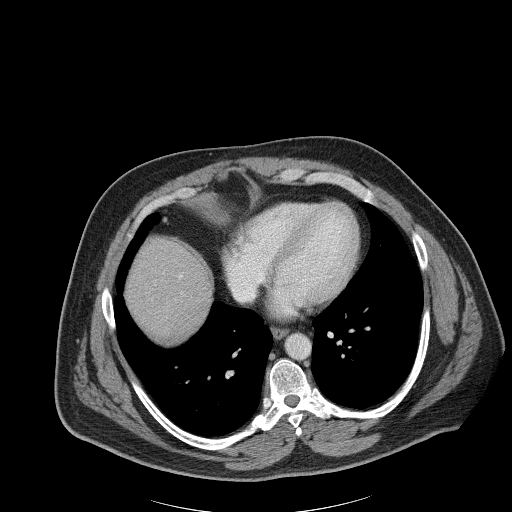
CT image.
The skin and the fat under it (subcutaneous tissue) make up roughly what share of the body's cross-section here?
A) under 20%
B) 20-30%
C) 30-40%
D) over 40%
B) 20-30%
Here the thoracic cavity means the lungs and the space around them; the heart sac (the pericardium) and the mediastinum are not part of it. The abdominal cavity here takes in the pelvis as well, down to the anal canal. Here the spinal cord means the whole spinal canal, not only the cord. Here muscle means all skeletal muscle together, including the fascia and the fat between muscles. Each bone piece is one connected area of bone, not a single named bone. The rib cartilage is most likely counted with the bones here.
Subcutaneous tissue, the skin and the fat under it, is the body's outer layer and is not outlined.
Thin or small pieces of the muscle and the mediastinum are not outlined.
Outlines (x, y in pixels):
spinal cord: [[289,395],[295,395],[296,396],[297,396],[299,398],[299,400],[298,401],[298,402],[294,406],[289,406],[287,404],[286,404],[284,402],[284,399],[285,398],[285,397],[286,397],[287,396],[288,396]]
pericardium: [[274,194],[329,194],[339,196],[347,200],[357,210],[365,225],[365,231],[367,234],[365,255],[359,268],[341,293],[323,311],[303,322],[283,323],[268,319],[257,310],[238,303],[233,298],[222,279],[219,242],[224,230],[233,231],[262,201],[264,196]]
muscle: [[245,156],[274,156],[280,158],[297,157],[317,159],[339,164],[354,171],[380,186],[398,199],[411,213],[414,219],[434,236],[445,252],[449,256],[451,256],[460,266],[471,286],[475,302],[482,320],[482,336],[477,352],[464,376],[459,383],[443,397],[410,418],[394,423],[381,434],[381,437],[376,442],[361,451],[342,456],[329,456],[314,452],[305,444],[297,443],[288,455],[271,465],[257,469],[235,470],[226,467],[222,461],[200,459],[170,451],[153,444],[124,428],[105,415],[84,405],[76,395],[73,385],[74,374],[76,372],[74,366],[77,361],[83,333],[90,327],[91,314],[96,295],[96,280],[103,264],[109,244],[123,220],[142,196],[166,181],[219,160]], around a hole outlined by [[293,167],[354,178],[374,193],[379,209],[410,242],[412,231],[423,240],[427,268],[420,274],[430,329],[422,367],[407,394],[382,417],[332,415],[323,419],[304,410],[299,436],[284,414],[270,429],[258,428],[224,448],[192,446],[167,431],[134,391],[130,378],[142,384],[103,315],[103,288],[107,286],[114,293],[127,233],[150,201],[181,187],[203,190],[216,176],[233,169],[249,170],[263,182],[277,184],[277,175]]
abdominal cavity 1: [[149,232],[173,235],[183,242],[188,243],[200,252],[209,264],[211,271],[213,272],[213,293],[215,296],[215,300],[211,304],[205,321],[201,327],[187,341],[173,348],[161,347],[148,339],[132,319],[126,307],[123,297],[124,284],[128,270],[136,252]]
abdominal cavity 2: [[233,169],[241,169],[245,171],[248,177],[256,182],[263,193],[263,198],[261,201],[233,230],[204,227],[201,223],[198,223],[195,219],[192,219],[186,215],[176,205],[170,204],[177,202],[180,199],[194,196],[201,190],[205,189],[216,176]]
torso: [[306,135],[348,137],[379,150],[433,200],[468,243],[499,318],[505,346],[485,389],[459,427],[353,467],[261,481],[207,479],[164,471],[124,458],[73,435],[63,425],[54,398],[57,335],[80,238],[101,194],[127,170],[162,155],[195,148],[246,145]]
mediastinum 1: [[168,205],[176,206],[186,216],[192,220],[195,220],[204,228],[223,230],[218,242],[221,279],[232,298],[238,304],[249,308],[232,306],[216,299],[214,293],[214,272],[212,271],[210,264],[199,250],[173,234],[150,231],[160,220],[160,215],[155,211]]
mediastinum 2: [[253,310],[257,311],[270,321],[283,324],[303,323],[316,316],[312,321],[312,326],[314,330],[310,362],[310,372],[314,384],[310,382],[303,368],[287,357],[280,357],[277,359],[266,373],[267,360],[273,345],[273,337],[268,326],[264,323],[262,317]]
mediastinum 3: [[247,170],[252,172],[263,182],[270,184],[291,184],[301,182],[309,186],[325,183],[336,185],[347,190],[363,202],[361,205],[369,222],[370,241],[366,255],[368,239],[366,225],[358,210],[347,199],[329,193],[274,193],[264,195],[257,182],[249,177]]
thoracic cavity 1: [[364,202],[378,208],[386,214],[411,243],[422,280],[423,307],[420,318],[416,353],[411,368],[402,384],[381,404],[368,409],[352,409],[341,406],[328,399],[314,382],[311,372],[315,330],[313,321],[342,293],[366,258],[371,241],[371,226],[362,205]]
thoracic cavity 2: [[154,212],[159,220],[135,252],[122,290],[131,319],[147,339],[164,349],[181,346],[202,327],[216,300],[252,310],[261,317],[272,337],[260,408],[241,429],[225,436],[194,434],[170,420],[143,388],[118,341],[113,304],[115,276],[128,243],[144,219]]
bones 1: [[426,306],[430,329],[422,367],[382,417],[323,419],[304,410],[299,436],[284,414],[266,431],[258,428],[209,450],[167,431],[130,383],[135,380],[175,425],[207,438],[233,434],[259,412],[266,374],[280,358],[299,365],[331,402],[372,409],[407,378]] with a hole at [[289,395],[295,395],[296,396],[297,396],[299,398],[299,400],[298,401],[298,402],[294,406],[289,406],[287,404],[286,404],[284,402],[284,399],[285,398],[285,397],[286,397],[287,396],[288,396]]
bones 2: [[293,167],[302,167],[308,173],[313,171],[333,171],[350,176],[374,193],[375,199],[379,205],[379,208],[370,203],[363,201],[347,189],[332,183],[322,182],[308,185],[304,184],[301,178],[291,183],[278,183],[279,179],[277,175],[281,171]]
bones 3: [[181,187],[194,187],[199,189],[199,190],[194,195],[185,198],[177,198],[172,203],[159,207],[153,212],[147,215],[140,223],[132,238],[128,242],[127,233],[131,224],[140,210],[146,204],[155,198],[165,194],[171,193],[173,191]]
bones 4: [[105,286],[107,286],[109,288],[110,290],[110,292],[112,295],[112,304],[113,305],[113,315],[114,316],[114,319],[115,320],[115,330],[114,331],[112,331],[110,329],[103,315],[103,312],[102,311],[102,308],[101,307],[101,294],[102,293],[103,288]]
bones 5: [[412,231],[415,231],[419,234],[419,235],[424,242],[425,248],[426,249],[426,252],[427,253],[427,268],[422,272],[421,272],[420,270],[420,268],[418,264],[418,261],[417,260],[417,258],[416,257],[416,255],[413,248],[413,245],[411,242],[411,232]]